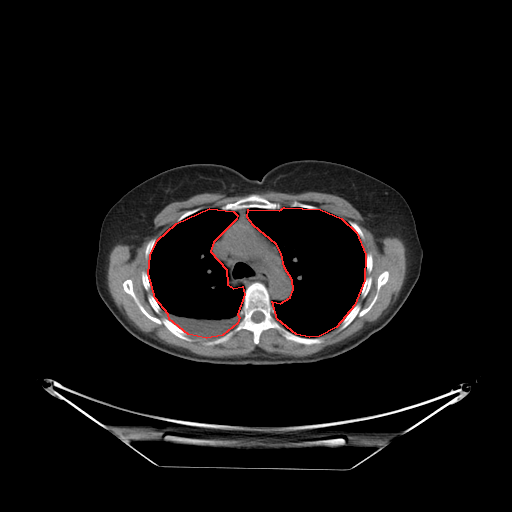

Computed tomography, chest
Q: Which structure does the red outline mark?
A: red: thoracic cavity.
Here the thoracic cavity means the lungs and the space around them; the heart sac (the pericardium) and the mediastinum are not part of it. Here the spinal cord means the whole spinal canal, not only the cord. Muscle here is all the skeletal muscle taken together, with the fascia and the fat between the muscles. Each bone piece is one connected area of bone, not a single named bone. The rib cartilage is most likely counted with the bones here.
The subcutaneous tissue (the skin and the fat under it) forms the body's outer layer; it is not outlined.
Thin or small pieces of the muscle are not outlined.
{"thoracic_cavity":[[[284,207],[320,209],[341,218],[356,232],[365,254],[364,280],[354,305],[336,327],[319,336],[309,337],[296,334],[277,319],[272,301],[280,303],[290,297],[293,289],[292,280],[284,267],[281,253],[276,244],[253,225],[247,217],[248,209],[279,210]],[[209,208],[233,211],[237,215],[236,219],[213,242],[210,251],[226,269],[227,284],[233,288],[242,286],[244,294],[237,314],[239,317],[237,323],[222,335],[206,338],[188,334],[169,319],[168,314],[155,298],[148,273],[150,255],[157,240],[176,223]]],"spinal_cord":[[[255,312],[261,312],[263,314],[263,315],[264,316],[264,318],[261,321],[260,321],[259,322],[255,322],[252,319],[252,315]]],"mediastinum":[[[241,209],[247,209],[247,219],[275,244],[280,253],[283,267],[291,280],[292,287],[291,294],[284,301],[271,301],[266,286],[260,281],[252,282],[245,289],[242,285],[231,286],[227,281],[227,269],[212,254],[212,245],[237,219],[238,215],[234,211]]],"torso":[[[298,159],[319,159],[354,167],[392,186],[407,201],[423,248],[421,271],[407,299],[384,327],[354,348],[316,362],[231,365],[168,354],[140,341],[122,326],[99,296],[94,279],[100,227],[114,203],[145,179],[179,165],[223,164],[259,180],[272,167]]],"muscle":[[[265,191],[314,191],[339,196],[360,213],[361,224],[379,247],[387,236],[403,242],[403,284],[394,302],[375,321],[309,355],[282,355],[257,347],[246,356],[212,357],[143,332],[119,309],[107,284],[113,247],[129,245],[133,255],[156,231],[154,218],[165,206],[208,192],[249,194],[220,207],[186,210],[157,239],[153,236],[144,249],[149,269],[141,271],[141,282],[147,292],[151,289],[153,293],[147,294],[147,300],[158,315],[162,310],[167,317],[150,314],[136,295],[133,281],[127,278],[122,282],[123,290],[148,319],[187,342],[193,341],[188,335],[216,338],[206,340],[207,346],[224,343],[241,330],[250,331],[253,343],[258,345],[262,332],[268,329],[277,330],[288,341],[308,346],[321,344],[325,338],[320,336],[337,327],[339,332],[357,316],[366,314],[390,273],[385,269],[377,276],[375,293],[367,306],[362,308],[360,302],[356,303],[359,296],[367,296],[373,281],[369,274],[365,277],[373,269],[373,256],[364,251],[365,236],[360,226],[310,203],[293,200],[282,207],[279,202],[253,193]]],"bones":[{"outer":[[254,282],[260,282],[265,286],[275,317],[287,330],[302,337],[323,337],[323,341],[302,344],[286,339],[275,328],[268,328],[261,332],[258,344],[254,343],[253,333],[247,329],[239,330],[224,342],[205,344],[206,341],[225,335],[237,325],[245,290]],"hole":[[255,312],[261,312],[263,314],[263,315],[264,316],[264,318],[261,321],[260,321],[259,322],[255,322],[252,319],[252,315]]},[[127,279],[130,279],[132,281],[133,291],[135,295],[144,309],[150,315],[158,318],[162,318],[163,317],[167,318],[178,327],[182,329],[192,339],[192,341],[187,341],[176,336],[163,324],[159,324],[148,318],[140,310],[133,298],[124,290],[123,282]],[[250,194],[258,194],[265,199],[271,202],[279,203],[281,205],[281,207],[279,209],[267,209],[266,208],[257,208],[256,207],[252,207],[251,208],[241,208],[236,210],[223,210],[220,208],[223,205],[227,203],[233,203],[237,200],[243,197],[245,197]],[[385,270],[388,271],[389,273],[388,279],[387,281],[380,287],[377,298],[371,308],[362,316],[357,315],[348,325],[343,329],[338,331],[337,330],[338,326],[353,308],[355,304],[360,303],[362,309],[367,307],[369,305],[376,293],[377,278],[378,276]],[[369,275],[372,278],[372,281],[371,282],[371,285],[370,286],[370,288],[369,289],[369,290],[368,291],[366,296],[364,298],[362,298],[360,296],[360,294],[361,293],[361,290],[363,287],[363,284],[364,283],[365,278],[367,276],[368,276]],[[149,293],[150,293],[151,294],[152,294],[154,296],[154,298],[156,300],[156,301],[157,302],[157,303],[159,305],[159,306],[161,308],[161,311],[159,314],[158,314],[154,310],[154,309],[151,306],[151,305],[150,304],[150,303],[148,300],[148,294]],[[153,237],[156,237],[156,241],[155,242],[155,243],[154,244],[154,245],[153,246],[153,247],[151,250],[151,252],[149,255],[149,258],[148,259],[147,259],[145,257],[145,249],[146,248],[146,246],[147,245],[147,244],[148,243],[148,242]],[[142,271],[146,271],[147,272],[147,273],[148,274],[148,279],[149,280],[149,283],[150,284],[150,287],[151,288],[148,291],[147,291],[145,289],[145,288],[144,287],[144,286],[143,285],[143,283],[142,282],[142,278],[141,277],[141,274],[142,273]],[[293,201],[297,201],[298,202],[301,202],[302,203],[305,203],[306,204],[310,204],[311,205],[314,205],[315,206],[316,206],[318,208],[307,208],[306,207],[301,207],[300,206],[290,206],[290,203],[291,202],[292,202]],[[349,220],[351,220],[352,221],[353,221],[355,223],[356,223],[359,226],[359,227],[360,228],[361,231],[363,233],[363,235],[364,236],[364,238],[363,239],[361,239],[361,238],[359,236],[359,235],[357,233],[357,232],[348,223],[348,221]],[[369,252],[371,254],[371,255],[372,256],[372,269],[371,270],[371,271],[369,273],[368,273],[366,271],[366,265],[367,264],[367,260],[366,259],[366,254],[367,253],[368,253]],[[199,207],[200,207],[201,208],[201,209],[200,210],[199,210],[198,211],[197,211],[196,212],[185,217],[183,219],[182,219],[177,222],[177,220],[178,219],[178,218],[186,211],[187,211],[188,210],[191,210],[192,209],[194,209],[195,208],[198,208]]]}